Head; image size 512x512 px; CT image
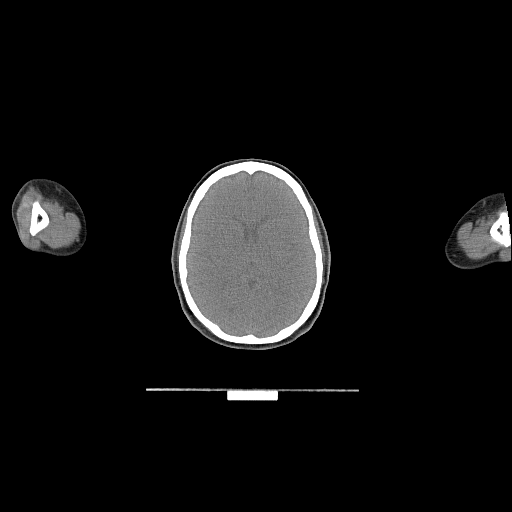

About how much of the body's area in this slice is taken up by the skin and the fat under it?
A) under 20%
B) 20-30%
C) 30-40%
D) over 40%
Answer: A) under 20%
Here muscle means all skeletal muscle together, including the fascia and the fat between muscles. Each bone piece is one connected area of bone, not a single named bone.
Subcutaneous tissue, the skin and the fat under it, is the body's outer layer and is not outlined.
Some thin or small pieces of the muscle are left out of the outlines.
{"brain":[[[258,171],[283,181],[300,204],[307,221],[307,234],[314,254],[315,281],[309,298],[294,321],[269,335],[258,336],[253,333],[239,335],[226,332],[206,316],[198,306],[187,281],[187,254],[191,243],[194,216],[210,187],[222,178],[239,172],[252,175]]],"head":[[[239,158],[261,158],[278,162],[289,168],[301,179],[317,206],[327,233],[331,253],[329,281],[321,310],[313,325],[294,341],[270,349],[247,350],[227,347],[215,343],[199,333],[181,308],[172,275],[171,252],[174,233],[189,193],[209,169],[222,162]]],"left_arm":[[[496,191],[501,191],[505,200],[505,205],[509,219],[509,230],[511,234],[511,259],[508,262],[492,263],[486,266],[477,269],[472,269],[471,270],[465,270],[455,267],[447,260],[444,253],[444,245],[450,232],[456,222],[473,204],[482,197]]],"bones":[{"outer":[[249,160],[275,165],[289,173],[300,184],[312,207],[313,222],[323,263],[320,294],[312,313],[289,336],[276,342],[263,344],[236,343],[224,340],[213,334],[190,310],[185,300],[178,275],[178,253],[187,220],[186,211],[196,189],[210,174],[219,168]],"hole":[[258,171],[283,181],[300,204],[307,221],[307,234],[314,254],[315,281],[309,298],[294,321],[269,335],[258,336],[253,333],[239,335],[226,332],[206,316],[198,306],[187,281],[187,254],[191,243],[194,216],[210,187],[222,178],[239,172],[252,175]]},[[506,209],[507,210],[507,214],[508,215],[508,218],[509,219],[509,230],[511,234],[511,244],[507,247],[505,247],[499,244],[497,242],[494,241],[491,238],[489,234],[489,230],[492,224],[497,219],[497,218],[499,216],[499,213]],[[35,200],[37,200],[39,202],[42,208],[47,213],[47,215],[49,218],[49,223],[48,225],[45,228],[42,229],[33,236],[30,233],[29,231],[29,227],[30,226],[30,222],[31,221],[31,209],[32,208],[32,203]]],"muscle":[{"outer":[[31,185],[38,187],[45,195],[55,196],[62,204],[66,206],[67,210],[73,211],[78,216],[81,223],[81,230],[78,241],[76,241],[68,247],[59,249],[49,249],[48,248],[47,249],[33,249],[24,242],[20,234],[16,217],[16,211],[22,195]],"hole":[[35,200],[37,200],[39,202],[42,208],[47,213],[47,215],[49,218],[49,223],[48,225],[45,228],[42,229],[33,236],[30,233],[29,231],[29,227],[30,226],[30,222],[31,221],[31,209],[32,208],[32,203]]},[[500,205],[503,205],[505,209],[498,213],[498,216],[488,230],[488,234],[494,242],[505,248],[511,245],[511,259],[500,260],[487,257],[480,260],[472,260],[467,258],[458,249],[456,245],[457,230],[463,223],[474,220],[484,214],[486,210],[495,208]],[[313,210],[317,219],[318,225],[320,228],[320,231],[322,236],[322,240],[324,245],[324,251],[325,252],[325,262],[324,264],[323,262],[323,258],[322,257],[322,249],[320,245],[320,241],[318,237],[318,233],[314,222],[314,214],[313,213]]],"right_arm":[[[35,177],[43,177],[54,180],[60,183],[74,196],[81,207],[86,221],[87,236],[83,246],[77,252],[67,256],[56,256],[44,252],[32,251],[26,248],[20,241],[12,220],[12,217],[11,216],[11,205],[15,195],[21,186],[29,179]]]}